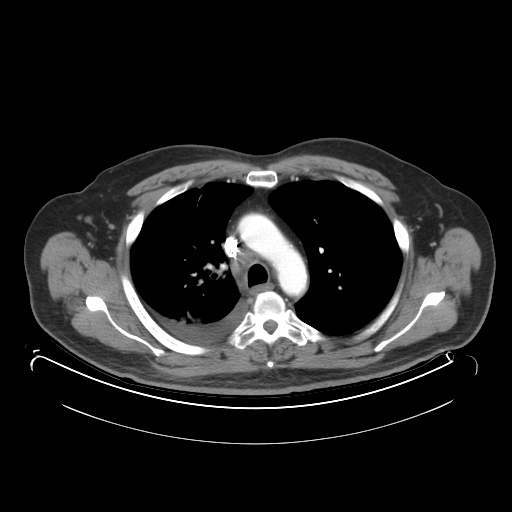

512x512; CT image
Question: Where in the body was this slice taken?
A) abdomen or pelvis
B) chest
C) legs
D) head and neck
Answer: B) chest
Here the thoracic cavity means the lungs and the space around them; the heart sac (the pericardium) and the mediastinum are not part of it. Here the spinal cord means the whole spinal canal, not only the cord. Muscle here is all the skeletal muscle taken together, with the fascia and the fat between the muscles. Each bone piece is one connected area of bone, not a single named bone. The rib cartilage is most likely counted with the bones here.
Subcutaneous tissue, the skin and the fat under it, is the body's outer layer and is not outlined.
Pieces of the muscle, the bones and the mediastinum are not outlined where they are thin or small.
thoracic cavity 1: [[217,180],[234,180],[236,183],[246,184],[253,189],[231,212],[221,242],[235,285],[240,297],[248,305],[248,310],[227,336],[203,345],[192,344],[167,332],[144,306],[132,281],[130,249],[138,237],[145,219],[154,208],[190,188],[201,187],[208,182]]
thoracic cavity 2: [[296,177],[337,181],[362,194],[381,207],[391,222],[395,240],[402,254],[401,269],[395,289],[378,315],[352,333],[342,335],[325,334],[299,318],[294,310],[295,304],[307,294],[310,287],[309,262],[302,241],[272,207],[268,198],[273,191]]
muscle: [[300,154],[332,156],[373,168],[390,180],[402,202],[419,216],[446,228],[462,227],[471,232],[481,251],[481,263],[472,282],[467,306],[456,326],[394,350],[373,364],[357,368],[272,368],[274,362],[269,359],[265,363],[268,370],[175,378],[161,374],[96,339],[81,335],[62,317],[40,267],[42,249],[52,235],[62,231],[75,233],[88,229],[111,212],[132,186],[168,167],[211,159],[246,161],[264,167],[278,159]] with holes at [[261,169],[274,170],[279,181],[335,181],[333,175],[339,174],[375,192],[389,220],[400,220],[409,237],[395,287],[403,284],[397,304],[383,325],[363,339],[355,338],[362,327],[304,345],[280,337],[270,346],[256,339],[239,349],[226,336],[204,344],[208,351],[200,355],[167,348],[143,325],[123,290],[121,275],[132,279],[128,223],[140,210],[145,219],[177,184],[191,179],[193,188],[217,180],[243,181],[249,171]] and at [[88,295],[99,296],[104,301],[112,319],[121,328],[127,332],[145,340],[152,346],[159,349],[162,349],[165,353],[158,356],[155,355],[146,345],[135,339],[124,335],[115,328],[109,321],[106,314],[102,310],[95,311],[89,310],[85,303],[85,299]] and at [[442,290],[445,292],[445,294],[443,298],[436,305],[427,305],[425,306],[423,308],[419,317],[409,329],[395,339],[389,342],[379,351],[374,351],[374,348],[377,344],[397,333],[413,319],[416,315],[423,301],[424,297],[429,292],[432,291],[441,291]]
bones 1: [[265,291],[277,293],[283,299],[285,305],[292,309],[299,319],[324,334],[326,338],[321,341],[308,341],[304,345],[298,345],[286,337],[280,337],[270,346],[263,340],[256,339],[243,349],[229,344],[228,336],[242,321],[245,314],[252,310],[256,296]]; inner edge: [[268,320],[272,320],[273,321],[274,321],[276,323],[276,324],[277,325],[276,326],[276,327],[275,328],[275,329],[272,332],[268,332],[264,328],[264,323],[266,321],[267,321]]
bones 2: [[123,273],[127,274],[131,280],[135,289],[135,291],[143,306],[155,322],[161,328],[171,336],[182,342],[192,345],[204,346],[208,349],[208,351],[200,355],[189,355],[169,349],[158,341],[143,325],[131,308],[124,293],[121,279],[120,278],[121,275]]
bones 3: [[88,295],[99,296],[104,301],[112,319],[121,328],[127,332],[145,340],[152,346],[159,349],[162,349],[165,353],[158,356],[155,355],[146,345],[135,339],[124,335],[115,328],[109,321],[106,314],[102,310],[95,311],[89,310],[85,303],[85,299]]
bones 4: [[401,283],[403,284],[403,286],[402,287],[401,293],[400,294],[399,299],[397,302],[397,304],[383,325],[376,332],[370,336],[366,337],[363,339],[356,339],[355,338],[355,336],[360,331],[369,325],[384,309],[384,308],[391,299],[395,290]]
bones 5: [[442,290],[445,292],[445,294],[443,298],[436,305],[427,305],[425,306],[423,308],[419,317],[409,329],[395,339],[389,342],[379,351],[374,351],[374,348],[377,344],[397,333],[413,319],[416,315],[423,301],[424,297],[429,292],[432,291],[441,291]]
bones 6: [[261,169],[271,169],[272,170],[274,170],[276,172],[278,176],[278,182],[277,184],[276,184],[272,187],[262,187],[261,186],[251,186],[247,184],[244,181],[245,179],[245,177],[247,173],[249,171],[251,171],[252,170],[260,170]]
bones 7: [[334,174],[343,175],[346,177],[351,178],[354,180],[356,180],[359,182],[363,183],[378,195],[378,196],[383,202],[383,207],[380,206],[377,203],[376,203],[370,198],[364,195],[362,193],[354,189],[352,189],[346,186],[341,182],[336,180],[333,176]]
bones 8: [[140,210],[143,210],[144,212],[144,220],[142,223],[140,231],[137,237],[135,239],[135,240],[133,242],[131,246],[128,248],[126,246],[126,240],[125,239],[126,238],[126,231],[127,230],[127,226],[128,225],[128,223],[131,220],[132,217],[138,211]]
bones 9: [[394,217],[396,217],[399,220],[400,220],[405,225],[407,229],[407,232],[408,233],[408,236],[409,237],[409,248],[406,254],[403,254],[402,253],[398,245],[398,243],[396,240],[396,237],[394,233],[394,229],[393,228],[393,225],[392,224],[392,220]]
bones 10: [[190,179],[193,180],[193,183],[188,189],[187,189],[185,191],[174,196],[172,198],[165,201],[163,203],[154,207],[154,204],[156,202],[156,201],[166,191],[167,191],[173,186],[174,186],[177,184],[180,184],[183,182],[185,182],[187,180],[189,180]]
spinal cord: [[268,320],[272,320],[273,321],[274,321],[276,323],[276,324],[277,325],[276,326],[276,327],[275,328],[275,329],[272,332],[268,332],[264,328],[264,323],[266,321],[267,321]]
mediastinum: [[284,179],[289,181],[273,190],[267,199],[302,243],[309,268],[309,287],[306,294],[294,304],[293,309],[286,305],[277,292],[265,290],[255,296],[249,310],[249,305],[240,295],[229,258],[222,247],[225,230],[232,212],[253,192],[253,187],[272,188]]
torso: [[326,136],[378,146],[465,193],[485,213],[495,251],[492,297],[482,326],[464,346],[381,379],[289,395],[222,396],[148,387],[108,375],[62,349],[37,323],[29,302],[23,246],[29,224],[51,198],[79,191],[103,169],[165,145],[208,144],[265,154]]